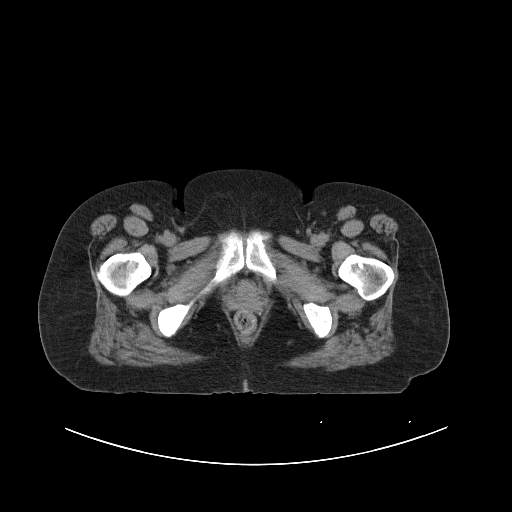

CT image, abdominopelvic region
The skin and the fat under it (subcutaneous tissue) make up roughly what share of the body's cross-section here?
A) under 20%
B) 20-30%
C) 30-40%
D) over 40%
Answer: D) over 40%
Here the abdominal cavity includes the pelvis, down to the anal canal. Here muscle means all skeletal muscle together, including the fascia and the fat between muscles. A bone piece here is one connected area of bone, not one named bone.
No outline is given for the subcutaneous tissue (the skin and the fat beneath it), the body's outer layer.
{"bones":[[[233,230],[244,240],[252,230],[270,236],[264,243],[275,267],[276,281],[274,283],[269,281],[244,266],[201,295],[188,310],[176,332],[170,337],[164,336],[157,323],[160,310],[178,303],[188,303],[210,281],[215,274],[215,266],[221,253],[221,239]],[[351,254],[358,254],[362,256],[367,256],[368,257],[376,258],[386,263],[392,268],[394,274],[393,281],[384,294],[378,298],[373,300],[369,300],[368,301],[365,300],[359,295],[357,290],[354,287],[342,280],[338,276],[337,270],[340,264],[347,256]],[[135,251],[141,253],[144,256],[145,259],[152,268],[151,275],[146,280],[135,287],[130,293],[125,296],[118,296],[109,292],[102,285],[97,277],[96,273],[99,269],[100,265],[108,257],[115,253],[120,252],[125,253]],[[308,302],[313,302],[319,305],[327,305],[329,307],[331,313],[331,316],[332,317],[332,322],[331,323],[331,328],[329,331],[328,335],[326,337],[323,337],[322,338],[318,337],[315,334],[311,325],[309,323],[302,307],[302,305],[304,303],[307,303]]],"muscle":[{"outer":[[119,203],[148,206],[156,221],[180,238],[236,228],[312,236],[329,224],[341,206],[378,206],[399,224],[400,272],[392,302],[393,351],[375,363],[334,371],[285,366],[280,363],[312,350],[315,342],[299,327],[282,299],[278,296],[274,299],[269,317],[253,345],[240,347],[221,304],[213,298],[190,319],[180,336],[185,349],[209,358],[196,363],[149,367],[96,361],[88,352],[96,302],[88,233],[91,220],[99,212]],"holes":[[[233,230],[244,240],[252,230],[270,236],[264,243],[276,281],[246,266],[237,272],[256,275],[270,294],[255,333],[250,339],[242,338],[225,307],[222,294],[228,278],[201,295],[176,332],[164,336],[157,323],[160,310],[188,303],[210,281],[221,239]],[[351,254],[358,254],[362,256],[367,256],[368,257],[376,258],[386,263],[392,268],[394,274],[393,281],[384,294],[378,298],[373,300],[369,300],[368,301],[365,300],[359,295],[357,290],[354,287],[342,280],[338,276],[337,270],[340,264],[347,256]],[[135,251],[141,253],[144,256],[145,259],[152,268],[151,275],[146,280],[135,287],[130,293],[125,296],[118,296],[109,292],[102,285],[97,277],[96,273],[99,269],[100,265],[108,257],[115,253],[120,252],[125,253]],[[308,302],[313,302],[319,305],[327,305],[329,307],[331,313],[331,316],[332,317],[332,322],[331,323],[331,328],[329,331],[328,335],[326,337],[323,337],[322,338],[318,337],[315,334],[311,325],[309,323],[302,307],[302,305],[304,303],[307,303]]]}],"torso":[[[230,167],[281,172],[306,198],[320,183],[346,181],[387,190],[413,207],[435,242],[447,296],[450,333],[440,364],[388,394],[116,394],[82,390],[60,376],[43,351],[37,302],[53,245],[72,211],[103,189],[142,179],[169,182],[180,203],[189,178]]],"abdominal_cavity":[[[240,272],[250,273],[256,275],[265,284],[270,294],[269,297],[269,305],[267,307],[267,311],[265,312],[265,314],[263,316],[255,333],[250,339],[244,339],[238,333],[228,313],[228,311],[225,307],[224,299],[222,294],[224,287],[230,279],[229,278]]]}